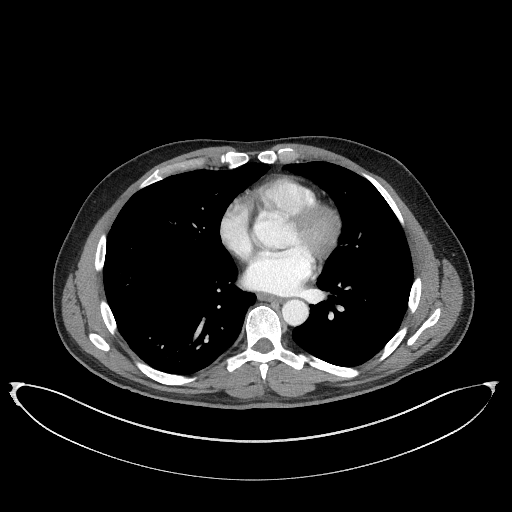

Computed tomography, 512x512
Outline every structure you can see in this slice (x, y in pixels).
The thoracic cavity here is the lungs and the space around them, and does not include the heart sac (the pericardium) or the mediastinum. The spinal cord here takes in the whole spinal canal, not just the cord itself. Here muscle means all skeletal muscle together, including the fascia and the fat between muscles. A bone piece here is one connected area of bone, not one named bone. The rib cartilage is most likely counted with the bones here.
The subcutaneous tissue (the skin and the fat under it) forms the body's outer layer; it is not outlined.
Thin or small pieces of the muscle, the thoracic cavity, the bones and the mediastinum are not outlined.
The torso is outlined by 235,410 305,407 366,394 439,363 461,342 474,307 474,282 467,255 424,187 395,157 335,136 305,135 252,141 178,140 148,149 117,166 85,198 61,244 52,276 55,326 68,352 90,373 132,393 184,405. The pericardium is outlined by 276,295 303,295 314,289 325,261 337,245 337,239 341,229 341,220 338,211 332,200 321,188 313,182 300,176 277,172 262,176 259,180 238,194 226,208 220,222 219,230 224,247 238,265 240,283 246,288. The mediastinum appears in 2 outlined pieces: piece 1: 233,347 245,330 248,312 260,304 269,306 278,314 284,329 283,335 290,335 295,327 308,318 314,290 303,296 276,296 249,290 239,283 239,272 235,284 242,290 253,292 256,300 246,309 244,324 232,344; piece 2: 263,175 269,172 275,172 276,171 278,172 282,172 283,173 292,173 287,170 285,170 283,168 283,166 285,164 286,164 284,164 280,162 279,163 277,163 276,162 273,164 270,164 269,165 269,169. The muscle is outlined by 243,400 262,397 269,391 287,398 299,397 384,377 435,346 454,325 461,310 463,290 454,266 431,243 407,205 382,177 335,152 300,143 281,143 270,148 276,151 291,146 302,154 298,160 332,162 358,174 364,171 379,181 404,217 402,227 413,274 422,279 419,305 413,314 407,309 401,323 408,327 403,340 381,362 377,360 379,352 356,367 361,372 354,378 344,379 307,363 301,370 295,370 278,360 268,363 265,381 260,377 258,363 253,361 230,373 224,359 244,348 243,337 233,351 190,376 196,377 193,382 168,386 144,375 134,364 141,360 118,331 111,335 105,327 99,310 99,301 106,298 102,271 97,272 93,264 101,233 107,235 122,206 156,168 194,157 204,159 203,167 225,167 218,158 229,149 236,150 231,146 210,146 181,154 155,165 130,184 93,226 64,285 61,307 68,333 83,351 107,368 160,391; inner edges: 408,345 411,345 417,339 419,335 426,328 433,325 438,320 439,318 439,315 440,314 440,308 436,308 432,312 432,313 423,322 423,323 418,328 418,329 408,338 407,340 407,344, then 105,351 107,351 108,350 109,350 109,345 106,342 106,341 101,336 100,336 98,334 97,334 96,333 89,333 89,338 90,339 90,340 92,342 92,343 96,347 97,347 98,348 99,348 102,350 104,350. The bones appear in 12 outlined pieces: piece 1: 263,380 267,363 273,359 295,369 301,369 307,362 344,378 354,377 360,371 285,347 277,314 269,307 260,305 248,314 242,336 246,341 245,348 225,361 230,372 246,361 256,361 with a hole at 261,352 267,352 268,351 269,351 272,349 272,345 271,344 270,341 268,339 267,339 266,338 261,338 259,340 258,340 257,341 257,342 254,345 254,346 253,347 254,348 254,349 255,349 258,351 260,351; piece 2: 139,189 154,182 156,182 170,174 180,172 181,171 185,171 186,170 191,170 196,168 201,168 203,165 203,159 201,158 194,158 193,159 184,160 181,162 177,162 176,163 170,164 161,168 156,169 140,184; piece 3: 168,385 183,385 188,382 193,381 195,379 195,377 194,376 192,377 189,377 188,376 184,376 183,375 166,373 165,372 157,370 142,361 140,361 139,360 135,361 135,364 136,366 148,377 160,383 163,383; piece 4: 268,164 273,163 278,159 279,159 281,162 284,163 288,163 292,161 297,161 297,160 301,157 301,154 291,147 284,147 283,148 280,148 278,149 276,152 270,149 263,150 260,151 257,154 256,158 259,161; piece 5: 401,225 403,225 403,217 396,203 389,194 389,193 386,190 386,189 373,177 364,172 361,172 360,173 360,175 363,176 366,179 367,179 377,189 380,194 384,198 384,199 387,202 387,203 397,217; piece 6: 229,169 231,169 232,168 235,168 240,165 242,165 248,162 250,160 250,157 249,155 245,152 240,152 239,151 235,151 234,150 229,150 221,154 219,158 220,160 220,162 222,164 225,165 226,167; piece 7: 379,361 381,361 387,356 388,356 399,344 399,343 402,340 402,339 406,334 406,332 407,331 407,327 406,326 403,326 402,327 401,327 385,344 385,345 383,347 383,348 380,351 380,356 378,359 378,360; piece 8: 412,313 413,313 415,311 418,305 418,303 419,302 419,298 421,294 421,279 419,276 416,276 414,278 413,280 413,282 412,283 412,285 411,286 411,288 410,289 410,293 409,294 409,299 408,300 408,308; piece 9: 111,334 114,334 114,333 117,330 117,327 116,326 116,323 115,322 115,320 114,319 113,314 110,309 110,307 108,303 106,301 106,299 103,298 100,301 100,310 101,311 101,315 106,325 106,327; piece 10: 408,345 411,345 417,339 419,335 426,328 433,325 438,320 439,318 439,315 440,314 440,308 436,308 432,312 432,313 423,322 423,323 418,328 418,329 408,338 407,340 407,344; piece 11: 97,271 101,271 102,270 103,264 104,263 104,260 105,259 105,248 106,247 106,233 102,233 102,234 99,238 99,240 97,244 97,247 96,248 96,252 95,253 95,262 94,264 95,265 95,269; piece 12: 105,351 107,351 108,350 109,350 109,345 106,342 106,341 101,336 100,336 98,334 97,334 96,333 89,333 89,338 90,339 90,340 92,342 92,343 96,347 97,347 98,348 99,348 102,350 104,350. The thoracic cavity appears in 2 outlined pieces: piece 1: 189,376 235,348 231,344 242,326 245,309 255,300 253,293 234,284 238,271 218,230 225,208 268,169 267,164 249,162 231,170 202,168 170,175 137,191 123,206 107,236 103,281 119,332 143,361 166,372; piece 2: 345,366 357,366 365,362 399,328 413,279 408,245 396,217 376,189 363,177 324,161 289,163 284,166 285,169 312,180 333,200 341,216 342,229 338,245 326,261 312,294 309,318 286,338 295,351 311,353. The spinal cord is outlined by 261,352 267,352 268,351 269,351 272,349 272,345 271,344 270,341 268,339 267,339 266,338 261,338 259,340 258,340 257,341 257,342 254,345 254,346 253,347 254,348 254,349 255,349 258,351 260,351.